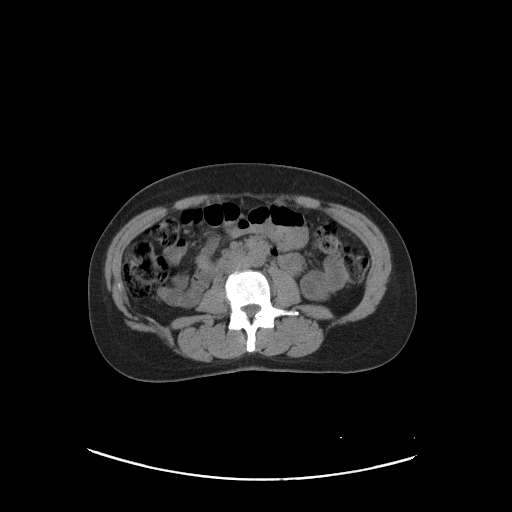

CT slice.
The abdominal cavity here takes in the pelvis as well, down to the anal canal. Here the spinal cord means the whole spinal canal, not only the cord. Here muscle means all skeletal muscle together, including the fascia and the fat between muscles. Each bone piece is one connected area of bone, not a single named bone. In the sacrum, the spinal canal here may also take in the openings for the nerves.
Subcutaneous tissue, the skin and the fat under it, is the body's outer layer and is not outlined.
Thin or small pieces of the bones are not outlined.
Outlines (x, y in pixels):
bones: 246 269; 259 270; 266 276; 270 285; 270 300; 273 306; 299 312; 297 315; 276 317; 273 321; 272 328; 258 327; 255 331; 255 350; 252 352; 246 350; 246 331; 243 328; 228 328; 230 305; 225 297; 224 287; 229 274; 236 270 with a hole at 249 304; 255 304; 256 305; 258 305; 259 306; 259 307; 260 308; 259 309; 259 310; 258 311; 257 311; 254 314; 254 315; 251 318; 250 318; 246 314; 246 313; 243 310; 242 310; 242 307; 243 306; 245 306; 246 305; 248 305
spinal cord: 249 304; 255 304; 256 305; 258 305; 259 306; 259 307; 260 308; 259 309; 259 310; 258 311; 257 311; 254 314; 254 315; 251 318; 250 318; 246 314; 246 313; 243 310; 242 310; 242 307; 243 306; 245 306; 246 305; 248 305
abdominal cavity: 241 197; 320 210; 351 231; 371 260; 363 295; 355 307; 336 317; 325 305; 299 303; 300 291; 293 276; 272 264; 268 277; 252 268; 236 269; 225 280; 216 277; 193 314; 178 316; 166 325; 135 311; 121 275; 128 244; 170 213
muscle: 246 191; 310 196; 345 205; 368 217; 382 232; 392 265; 378 308; 362 319; 333 327; 315 351; 292 358; 256 352; 229 360; 197 361; 175 353; 152 333; 130 328; 116 311; 104 276; 107 250; 118 231; 137 214; 168 201; 203 193; inner edge: 241 197; 320 210; 351 231; 371 260; 355 307; 336 317; 325 305; 299 303; 293 276; 272 264; 272 305; 299 313; 258 327; 252 352; 246 331; 228 328; 222 276; 193 314; 166 325; 135 311; 121 275; 128 244; 170 213
torso: 223 162; 286 164; 331 175; 365 194; 392 221; 410 255; 417 289; 414 327; 405 346; 393 359; 376 368; 351 373; 246 370; 172 382; 135 380; 116 371; 106 362; 94 342; 87 305; 88 269; 98 238; 120 207; 144 186; 184 169